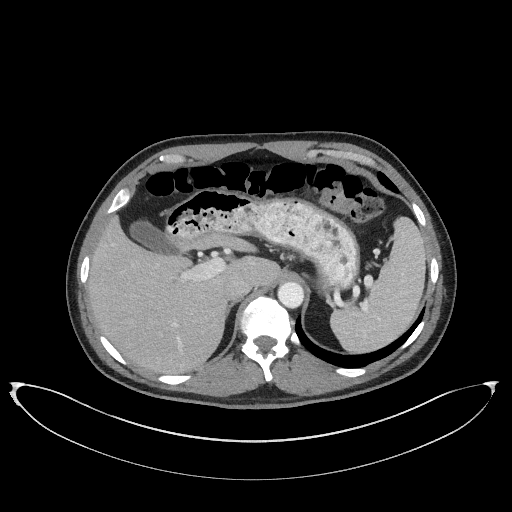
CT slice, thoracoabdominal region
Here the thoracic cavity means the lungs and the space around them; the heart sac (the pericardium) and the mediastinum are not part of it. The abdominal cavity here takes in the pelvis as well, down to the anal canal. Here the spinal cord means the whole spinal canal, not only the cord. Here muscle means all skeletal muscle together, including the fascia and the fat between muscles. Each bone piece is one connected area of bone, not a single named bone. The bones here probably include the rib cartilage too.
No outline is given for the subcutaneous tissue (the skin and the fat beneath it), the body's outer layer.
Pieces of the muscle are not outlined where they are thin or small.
{"muscle":[{"outer":[[217,397],[226,397],[232,394],[242,393],[248,390],[254,389],[258,386],[265,383],[273,384],[278,388],[288,393],[293,393],[300,396],[311,396],[312,395],[317,395],[326,392],[330,392],[331,391],[342,389],[358,383],[365,382],[370,379],[379,376],[386,371],[407,360],[427,341],[433,332],[439,318],[440,308],[441,307],[442,297],[443,296],[443,275],[441,271],[442,270],[442,257],[440,252],[440,246],[437,240],[437,236],[435,233],[430,215],[425,205],[415,191],[403,177],[384,159],[367,149],[346,142],[319,142],[312,140],[281,140],[280,141],[270,141],[263,143],[257,143],[256,142],[229,142],[228,143],[210,143],[209,144],[192,144],[191,145],[173,146],[163,149],[153,154],[134,168],[118,182],[101,204],[97,210],[83,240],[80,249],[80,252],[78,256],[77,269],[76,270],[77,302],[80,312],[81,324],[91,346],[97,355],[107,365],[122,375],[131,378],[135,381],[141,382],[150,386],[157,387],[162,389],[174,390],[175,391],[183,391],[184,392],[192,392],[197,394],[216,396]],"holes":[[[169,384],[189,379],[189,373],[219,357],[232,343],[238,327],[246,338],[241,350],[262,367],[266,381],[272,378],[271,362],[289,351],[288,340],[337,365],[335,371],[349,377],[363,374],[367,364],[398,347],[405,348],[423,327],[428,282],[435,283],[438,275],[435,257],[428,261],[420,228],[426,221],[420,208],[414,202],[409,206],[396,186],[375,169],[373,159],[340,150],[312,149],[307,159],[292,160],[263,148],[252,148],[223,159],[155,169],[143,177],[131,198],[127,187],[120,189],[107,209],[107,213],[114,214],[100,233],[92,255],[86,255],[82,261],[81,282],[87,283],[90,307],[106,350],[123,364],[127,360],[158,373],[157,379]],[[164,163],[178,163],[179,162],[184,161],[185,160],[185,158],[182,155],[180,155],[179,154],[176,154],[175,153],[173,153],[172,154],[166,154],[165,155],[161,155],[159,157],[159,158],[158,159],[159,160],[159,161],[160,161],[161,162],[163,162]]]}],"torso":[[[226,409],[288,408],[367,393],[415,372],[439,344],[456,295],[457,272],[452,243],[429,196],[404,163],[380,142],[361,134],[333,130],[212,133],[167,138],[144,147],[121,164],[87,210],[70,248],[65,296],[73,330],[88,359],[106,377],[139,393]]],"bones":[{"outer":[[266,381],[272,378],[269,370],[271,362],[278,357],[283,357],[289,351],[286,342],[288,340],[298,346],[301,343],[293,327],[294,321],[285,308],[275,299],[262,295],[250,301],[244,308],[240,317],[239,329],[246,338],[241,345],[241,350],[262,367]],"hole":[[263,352],[266,352],[267,351],[268,351],[270,349],[270,348],[273,345],[274,345],[275,344],[275,343],[276,342],[275,339],[274,339],[271,337],[269,337],[268,336],[260,336],[255,339],[254,342],[259,347],[259,349],[260,350],[260,351],[262,351]]},[[374,168],[376,168],[377,166],[376,165],[376,162],[373,159],[363,154],[355,153],[351,151],[312,149],[307,153],[308,157],[315,157],[320,154],[326,155],[327,156],[340,157],[341,158],[353,160],[359,162],[364,165],[367,165]],[[107,213],[110,213],[111,212],[113,212],[117,209],[118,209],[120,207],[123,206],[126,203],[127,203],[131,195],[131,192],[130,190],[127,187],[122,188],[120,189],[117,192],[117,193],[114,196],[109,207],[107,209]],[[123,364],[126,364],[126,361],[122,357],[122,356],[119,353],[119,352],[118,352],[117,351],[117,350],[103,335],[100,335],[99,338],[100,339],[100,340],[101,341],[103,346],[106,349],[106,350],[115,359],[116,359],[119,362],[120,362]],[[169,384],[177,384],[178,383],[181,383],[182,382],[183,382],[184,381],[189,379],[190,378],[190,375],[189,375],[188,374],[186,374],[185,375],[159,375],[157,378],[157,379],[158,380],[159,380],[162,382],[164,382],[165,383],[168,383]],[[349,377],[353,377],[354,376],[357,376],[358,375],[361,375],[363,374],[366,371],[366,369],[365,367],[362,367],[361,368],[343,368],[342,367],[337,367],[335,369],[335,371],[337,373],[339,374],[341,374],[342,375],[344,375],[345,376],[348,376]],[[400,349],[405,348],[416,338],[416,337],[419,334],[419,333],[421,331],[423,327],[423,325],[424,324],[424,320],[423,319],[421,320],[421,321],[418,324],[418,325],[415,328],[415,329],[412,332],[412,333],[408,337],[408,338],[399,347]],[[164,163],[178,163],[179,162],[184,161],[185,160],[185,158],[182,155],[180,155],[179,154],[176,154],[175,153],[173,153],[172,154],[166,154],[165,155],[161,155],[159,157],[159,158],[158,159],[159,160],[159,161],[160,161],[161,162],[163,162]],[[82,283],[85,283],[86,282],[86,280],[87,279],[87,274],[88,273],[88,270],[89,269],[89,256],[88,255],[86,255],[84,257],[84,258],[83,259],[83,260],[82,261],[82,263],[81,264],[81,271],[80,272],[80,278],[81,279],[81,282]],[[432,283],[435,283],[436,282],[436,281],[437,280],[437,276],[438,275],[438,266],[437,265],[437,261],[436,260],[436,259],[435,258],[435,257],[432,257],[431,258],[431,260],[430,261],[430,280],[432,282]],[[421,226],[424,226],[426,224],[426,221],[425,220],[424,215],[423,214],[422,211],[420,209],[420,208],[416,204],[416,203],[413,202],[412,203],[411,203],[411,207],[412,208],[412,210],[414,212],[414,213],[418,220],[418,222],[420,224],[420,225]]],"abdominal_cavity":[[[159,374],[190,373],[219,357],[232,343],[247,303],[287,277],[304,284],[298,315],[316,345],[349,355],[397,339],[424,307],[429,281],[427,246],[408,202],[353,161],[326,156],[292,160],[263,148],[148,172],[100,233],[87,285],[102,333],[126,360]]],"spinal_cord":[[[263,352],[266,352],[267,351],[268,351],[270,349],[270,348],[273,345],[274,345],[275,344],[275,343],[276,342],[275,339],[274,339],[271,337],[269,337],[268,336],[260,336],[255,339],[254,342],[259,347],[259,349],[260,350],[260,351],[262,351]]],"thoracic_cavity":[[[343,367],[365,366],[373,361],[386,356],[396,349],[407,338],[420,321],[424,312],[424,308],[411,327],[391,344],[369,354],[349,356],[329,352],[312,343],[303,333],[300,326],[300,317],[298,316],[295,321],[294,327],[302,344],[316,356],[330,363]],[[395,192],[398,192],[399,191],[396,187],[396,186],[384,174],[383,174],[381,172],[378,172],[378,173],[377,174],[377,175],[378,176],[378,179],[381,182],[381,183],[382,184],[383,184],[386,187],[387,187],[389,189],[390,189],[392,191],[394,191]]],"mediastinum":[[[294,320],[295,320],[299,313],[299,311],[301,309],[301,306],[303,304],[303,300],[305,297],[305,289],[303,287],[303,284],[298,280],[293,278],[287,278],[285,280],[282,280],[279,282],[273,289],[264,295],[268,295],[275,298],[286,308],[291,317]],[[375,175],[376,175],[376,174],[378,171],[377,170],[376,170],[373,168],[368,167],[367,166],[364,166],[359,163],[357,163],[356,162],[354,162],[355,162],[356,163],[357,164],[357,165],[359,165],[360,166],[361,166],[363,168],[365,168],[366,169],[367,169],[369,171],[372,172]]]}